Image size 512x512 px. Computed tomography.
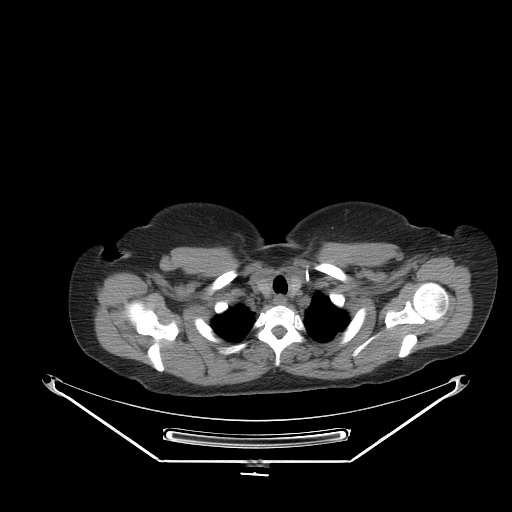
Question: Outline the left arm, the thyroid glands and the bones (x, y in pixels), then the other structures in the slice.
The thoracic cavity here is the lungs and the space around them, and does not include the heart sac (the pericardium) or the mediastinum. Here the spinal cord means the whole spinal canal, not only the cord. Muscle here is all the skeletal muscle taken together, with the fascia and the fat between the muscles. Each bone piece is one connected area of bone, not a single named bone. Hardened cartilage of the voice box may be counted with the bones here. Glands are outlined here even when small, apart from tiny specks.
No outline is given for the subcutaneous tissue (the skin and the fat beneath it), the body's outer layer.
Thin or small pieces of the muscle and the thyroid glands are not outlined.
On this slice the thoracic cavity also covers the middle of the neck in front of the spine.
Answer: The left arm is outlined by [[461,223],[473,224],[483,229],[491,238],[498,257],[498,280],[494,302],[480,335],[474,344],[467,351],[449,346],[428,333],[413,314],[407,302],[404,292],[404,272],[407,260],[411,251],[417,243],[433,228],[437,229],[442,233],[451,234],[453,228]]. The thyroid glands appear in 2 outlined pieces: piece 1: [[291,275],[292,275],[293,276],[295,276],[296,277],[298,277],[300,279],[301,279],[301,286],[300,287],[300,289],[299,290],[299,291],[298,292],[298,293],[295,296],[294,296],[293,297],[290,297],[290,290],[291,289]]; piece 2: [[266,278],[266,279],[267,280],[267,283],[268,284],[268,287],[271,292],[270,293],[270,295],[269,296],[269,297],[265,297],[263,295],[263,294],[260,291],[260,290],[258,287],[258,285],[257,284],[257,281],[260,281],[261,280],[263,280]]. The bones appear in 12 outlined pieces: piece 1: [[424,282],[435,282],[446,290],[449,297],[449,306],[445,314],[439,319],[431,321],[426,320],[421,324],[398,324],[387,329],[385,327],[384,321],[386,312],[389,309],[392,309],[395,311],[401,310],[405,306],[406,301],[412,298],[418,286]]; piece 2: [[275,305],[284,305],[296,310],[302,318],[306,329],[306,333],[304,334],[306,340],[304,342],[292,342],[281,351],[279,357],[280,362],[278,366],[275,366],[274,364],[274,351],[265,342],[257,339],[254,336],[254,332],[251,330],[259,313],[262,310]]; inner edge: [[275,326],[282,326],[286,330],[286,331],[285,332],[285,333],[281,337],[280,337],[279,338],[278,337],[277,337],[272,332],[272,329]]; piece 3: [[132,300],[140,300],[148,308],[152,309],[160,323],[168,324],[173,320],[176,322],[179,331],[174,340],[161,339],[158,342],[164,367],[163,371],[156,370],[147,355],[147,350],[154,342],[154,339],[149,335],[138,333],[135,327],[123,315],[125,305]]; piece 4: [[361,307],[365,307],[366,309],[366,314],[365,315],[365,318],[364,319],[364,321],[361,327],[356,333],[356,334],[350,340],[349,340],[344,344],[339,344],[340,332],[341,332],[345,329],[345,328],[349,323],[351,318],[356,313],[358,309]]; piece 5: [[197,316],[199,316],[201,317],[207,323],[208,323],[210,325],[212,329],[215,332],[215,333],[218,336],[219,336],[222,339],[223,339],[221,342],[219,343],[216,343],[215,342],[213,342],[207,339],[199,333],[199,332],[197,330],[194,324],[194,318]]; piece 6: [[319,263],[329,263],[330,264],[332,264],[338,267],[345,273],[346,275],[346,279],[344,281],[343,281],[337,278],[335,278],[327,273],[325,273],[324,272],[322,272],[319,270],[317,270],[315,269],[314,267],[315,265]]; piece 7: [[409,333],[413,333],[417,336],[417,342],[414,345],[414,346],[411,350],[411,352],[408,355],[407,355],[404,357],[402,357],[401,358],[400,358],[399,357],[398,357],[398,351],[400,348],[401,341],[402,340],[403,337],[406,334],[408,334]]; piece 8: [[233,269],[236,270],[236,271],[237,272],[237,275],[229,283],[226,284],[221,288],[220,288],[219,289],[217,289],[212,292],[210,290],[210,287],[211,286],[213,281],[217,277],[218,277],[223,273],[224,273],[227,271],[229,271],[230,270],[232,270]]; piece 9: [[240,342],[247,342],[247,345],[243,349],[242,349],[240,351],[236,353],[232,353],[231,354],[228,354],[227,355],[225,355],[224,354],[222,354],[220,353],[218,351],[218,347],[224,347],[225,346],[229,346],[232,344],[236,344]]; piece 10: [[331,291],[333,291],[334,292],[337,292],[338,293],[341,293],[342,294],[343,294],[343,295],[345,298],[345,300],[344,301],[344,306],[343,307],[343,308],[339,308],[338,307],[337,307],[335,305],[334,305],[331,302],[331,301],[329,298],[329,293]]; piece 11: [[379,332],[380,332],[380,334],[378,337],[377,337],[373,340],[372,340],[366,346],[365,346],[355,356],[353,356],[352,355],[352,354],[353,353],[354,350],[356,348],[356,347],[357,347],[359,345],[360,345],[362,343],[363,343],[371,336],[372,336]]; piece 12: [[223,300],[224,300],[227,302],[227,303],[228,304],[228,308],[225,311],[224,311],[223,312],[222,312],[219,314],[217,314],[215,312],[215,311],[214,310],[214,305],[216,302],[217,302],[218,301],[222,301]]. The torso is outlined by [[191,200],[240,212],[269,243],[282,242],[310,212],[345,200],[377,202],[416,226],[432,227],[407,257],[404,296],[428,334],[465,352],[384,383],[283,393],[172,396],[118,376],[83,352],[130,332],[148,310],[149,292],[112,242],[160,208]]. The thoracic cavity is outlined by [[276,272],[290,275],[290,298],[299,293],[302,280],[327,295],[350,318],[344,329],[327,341],[318,341],[307,333],[296,309],[269,304],[258,312],[241,341],[233,343],[218,335],[210,324],[215,315],[225,312],[255,282],[269,298],[272,292],[267,276]]. The right arm is outlined by [[95,240],[101,240],[104,243],[103,254],[107,258],[113,259],[116,257],[120,257],[128,261],[141,274],[146,284],[148,292],[148,306],[143,318],[130,331],[103,346],[83,351],[75,340],[69,322],[68,286],[73,264],[80,251],[86,244]]. The muscle is outlined by [[314,239],[393,243],[408,255],[440,253],[467,265],[473,316],[465,332],[448,344],[410,354],[418,336],[409,332],[400,341],[399,358],[357,376],[320,379],[276,368],[253,380],[204,386],[164,372],[159,342],[174,341],[180,330],[174,319],[160,322],[140,299],[128,301],[122,315],[138,334],[153,339],[146,350],[153,368],[108,352],[95,336],[94,291],[110,273],[142,273],[178,246],[233,246],[281,260],[301,253]]; inner edges: [[276,272],[287,272],[307,281],[328,296],[331,291],[343,294],[343,309],[350,318],[365,307],[359,330],[344,344],[339,344],[339,332],[327,341],[318,341],[305,333],[304,342],[292,342],[281,351],[278,366],[274,364],[274,351],[252,330],[241,340],[247,342],[243,349],[227,355],[220,353],[218,347],[233,343],[207,339],[197,330],[194,318],[199,316],[209,324],[216,314],[216,302],[224,300],[229,306],[247,286]], then [[424,282],[435,282],[446,290],[449,297],[449,306],[445,314],[439,319],[431,321],[426,320],[421,324],[398,324],[387,329],[385,327],[384,321],[386,312],[389,309],[392,309],[395,311],[401,310],[405,306],[406,301],[412,298],[418,286]], then [[319,263],[329,263],[330,264],[332,264],[338,267],[345,273],[346,275],[346,279],[344,281],[343,281],[337,278],[335,278],[327,273],[325,273],[324,272],[322,272],[319,270],[317,270],[315,269],[314,267],[315,265]], then [[233,269],[236,270],[236,271],[237,272],[237,275],[229,283],[226,284],[221,288],[220,288],[219,289],[217,289],[212,292],[210,290],[210,287],[211,286],[213,281],[217,277],[218,277],[223,273],[224,273],[227,271],[229,271],[230,270],[232,270]], then [[379,332],[380,332],[380,334],[378,337],[377,337],[373,340],[372,340],[366,346],[365,346],[355,356],[353,356],[352,355],[352,354],[353,353],[354,350],[356,348],[356,347],[357,347],[359,345],[360,345],[362,343],[363,343],[371,336],[372,336]]. The spinal cord is outlined by [[275,326],[282,326],[286,330],[286,331],[285,332],[285,333],[281,337],[280,337],[279,338],[278,337],[277,337],[272,332],[272,329]].